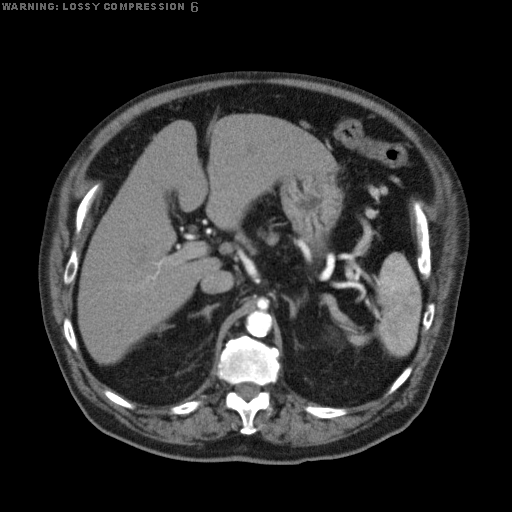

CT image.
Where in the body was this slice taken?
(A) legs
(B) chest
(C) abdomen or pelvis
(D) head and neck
(C) abdomen or pelvis
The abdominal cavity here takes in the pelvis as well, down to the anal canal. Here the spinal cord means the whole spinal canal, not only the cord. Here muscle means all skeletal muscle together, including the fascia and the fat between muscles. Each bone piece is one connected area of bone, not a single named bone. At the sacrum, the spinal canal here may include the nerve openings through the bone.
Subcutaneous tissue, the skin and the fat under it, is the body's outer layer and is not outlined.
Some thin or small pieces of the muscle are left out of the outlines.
{"muscle":[{"outer":[[274,77],[328,84],[383,105],[416,132],[449,173],[459,209],[459,257],[436,343],[412,401],[364,429],[331,442],[295,447],[273,443],[255,433],[257,412],[264,410],[269,416],[273,412],[268,386],[278,379],[286,391],[317,404],[302,408],[319,419],[346,415],[347,407],[384,393],[386,397],[408,379],[422,330],[431,327],[436,306],[433,301],[427,303],[425,283],[432,273],[429,223],[422,204],[418,200],[413,203],[418,254],[412,239],[409,198],[432,205],[436,179],[426,158],[400,129],[353,101],[278,83],[224,85],[185,95],[134,117],[90,162],[86,175],[103,179],[102,190],[80,255],[74,245],[71,248],[62,275],[65,285],[73,282],[71,316],[63,318],[63,335],[74,352],[79,349],[89,371],[108,388],[102,392],[110,401],[130,410],[135,408],[131,402],[155,408],[170,406],[170,414],[187,415],[202,403],[190,399],[214,374],[227,385],[224,407],[239,415],[240,434],[232,431],[202,445],[145,436],[90,401],[72,377],[52,314],[48,280],[60,187],[100,129],[137,102],[203,81]],"hole":[[97,182],[100,182],[100,186],[94,195],[91,207],[86,214],[86,217],[84,220],[84,223],[82,226],[82,228],[80,232],[78,234],[76,234],[75,233],[75,220],[76,219],[76,210],[77,209],[77,207],[79,203],[87,192],[87,191],[95,183]]}],"torso":[[[228,70],[301,72],[375,93],[431,133],[463,185],[470,215],[470,244],[448,351],[422,411],[404,430],[359,453],[270,465],[184,461],[136,448],[101,432],[85,417],[46,335],[38,291],[38,252],[50,190],[71,152],[94,125],[137,94],[170,81]]],"bones":[{"outer":[[243,335],[277,348],[280,364],[277,380],[267,386],[270,394],[272,412],[269,415],[266,410],[259,409],[252,421],[256,431],[248,435],[240,432],[243,423],[238,412],[225,407],[225,396],[229,387],[216,373],[220,354],[226,342],[230,339],[238,339]],"hole":[[243,382],[251,382],[252,383],[254,383],[258,385],[260,387],[260,390],[258,392],[258,393],[255,396],[254,396],[249,400],[246,400],[244,399],[241,396],[240,396],[236,392],[235,390],[235,386],[237,384],[239,384]]},[[416,201],[418,201],[421,204],[421,207],[426,216],[428,223],[431,273],[429,277],[426,279],[424,279],[420,273],[418,267],[418,263],[417,262],[417,258],[420,253],[420,250],[418,245],[418,238],[416,231],[416,216],[414,212],[414,207],[413,206]],[[97,182],[100,182],[100,186],[94,195],[91,207],[86,214],[86,217],[84,220],[84,223],[82,226],[82,228],[80,232],[78,234],[76,234],[75,233],[75,220],[76,219],[76,210],[77,209],[77,207],[79,203],[87,192],[87,191],[95,183]],[[306,405],[312,405],[313,406],[328,406],[329,407],[343,407],[344,408],[346,408],[348,410],[348,412],[346,414],[344,414],[343,415],[340,415],[339,416],[336,416],[332,418],[319,418],[318,417],[316,417],[306,412],[303,408],[304,406]],[[74,246],[77,250],[77,253],[79,257],[79,259],[78,260],[78,266],[77,267],[77,270],[76,271],[76,273],[75,274],[75,277],[73,281],[69,284],[65,284],[63,281],[63,275],[64,274],[64,271],[65,270],[65,266],[69,258],[71,250]],[[65,317],[68,317],[70,319],[71,321],[71,323],[72,324],[73,331],[74,332],[74,334],[76,338],[76,341],[77,342],[77,345],[78,346],[78,351],[76,352],[74,351],[69,345],[64,335],[64,331],[63,330],[63,321]],[[197,400],[200,400],[201,401],[201,403],[195,410],[194,410],[187,414],[174,414],[173,413],[170,413],[169,412],[169,409],[171,406],[173,406],[174,405],[177,405],[180,403],[183,403],[184,402],[187,402],[188,401],[189,401],[191,403],[194,403]],[[409,365],[410,365],[412,367],[412,370],[409,376],[407,378],[407,379],[397,389],[396,389],[392,393],[386,396],[385,395],[385,393],[387,391],[387,390],[390,387],[390,386],[393,383],[393,382],[398,377],[398,376],[405,369],[405,368]],[[105,389],[109,389],[110,390],[113,391],[115,393],[116,393],[124,399],[127,400],[129,402],[130,402],[134,405],[134,408],[133,409],[130,409],[129,408],[124,407],[121,405],[119,405],[118,404],[113,402],[111,400],[110,400],[104,394],[103,391]],[[430,302],[433,302],[435,306],[434,307],[434,315],[433,316],[433,319],[432,320],[432,322],[431,323],[431,325],[430,327],[427,330],[424,330],[423,329],[423,317],[424,316],[424,312],[426,309],[426,306],[427,304]]],"spinal_cord":[[[243,382],[251,382],[252,383],[254,383],[258,385],[260,387],[260,390],[258,392],[258,393],[255,396],[254,396],[249,400],[246,400],[244,399],[241,396],[240,396],[236,392],[235,390],[235,386],[237,384],[239,384]]],"abdominal_cavity":[[[242,84],[293,86],[367,108],[400,130],[433,172],[433,203],[408,198],[427,291],[419,344],[376,398],[329,406],[288,391],[278,348],[243,334],[225,342],[201,391],[147,406],[100,381],[80,351],[72,291],[104,179],[88,177],[91,162],[142,113]]]}